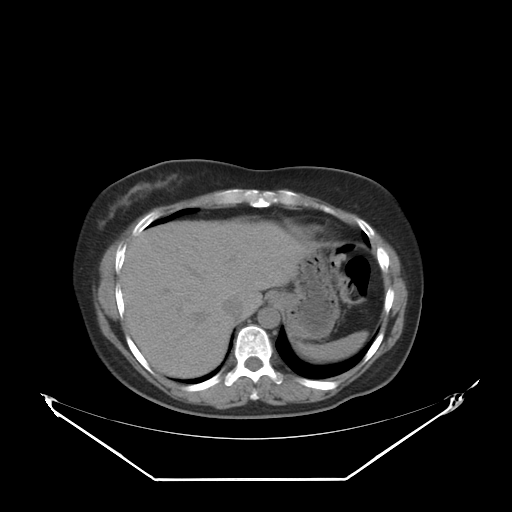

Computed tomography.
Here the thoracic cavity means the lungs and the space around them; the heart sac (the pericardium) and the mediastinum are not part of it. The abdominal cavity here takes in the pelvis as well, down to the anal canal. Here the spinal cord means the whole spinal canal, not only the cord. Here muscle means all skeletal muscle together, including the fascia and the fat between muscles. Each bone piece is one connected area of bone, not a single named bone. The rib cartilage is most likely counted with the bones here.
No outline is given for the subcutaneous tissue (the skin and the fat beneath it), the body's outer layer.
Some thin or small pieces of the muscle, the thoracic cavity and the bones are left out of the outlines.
{"spinal_cord":[[[250,357],[256,357],[257,358],[258,358],[261,361],[261,362],[262,363],[262,365],[259,368],[258,368],[256,370],[251,370],[250,369],[249,369],[247,367],[246,367],[245,366],[245,362],[246,361],[246,360],[248,358],[249,358]]],"muscle":[[[216,190],[221,190],[204,201],[229,206],[184,207],[164,216],[159,209],[152,210],[135,224],[131,231],[134,237],[127,246],[125,242],[117,245],[114,270],[119,274],[119,283],[114,287],[114,297],[119,317],[127,329],[128,334],[124,338],[129,350],[150,374],[154,376],[156,373],[182,383],[181,389],[186,392],[202,391],[222,380],[228,387],[240,377],[247,377],[256,384],[262,376],[267,376],[279,385],[283,375],[273,364],[275,353],[299,376],[295,377],[299,384],[323,391],[336,388],[340,382],[329,379],[360,361],[363,365],[376,352],[385,335],[380,330],[382,314],[389,313],[394,301],[395,291],[391,286],[386,290],[382,275],[388,271],[390,257],[383,246],[378,245],[374,249],[371,242],[375,236],[373,227],[399,258],[408,292],[403,329],[389,350],[334,395],[314,402],[273,405],[257,400],[260,397],[253,388],[249,394],[251,400],[239,406],[219,409],[186,403],[149,382],[104,336],[96,323],[92,280],[96,286],[98,284],[100,261],[110,244],[132,222],[153,208]],[[297,192],[300,192],[313,197],[319,198],[336,207],[341,208],[357,215],[358,216],[356,216],[354,218],[354,221],[356,223],[357,226],[348,223],[346,221],[340,218],[340,216],[337,212],[332,207],[326,204],[319,203],[315,201],[302,200],[300,195]]],"thoracic_cavity":[[[281,327],[283,327],[285,332],[285,337],[293,353],[302,362],[312,366],[327,366],[344,362],[355,356],[365,346],[370,342],[371,343],[362,358],[351,368],[328,379],[312,379],[300,376],[292,371],[275,352],[273,346],[278,337],[279,330]],[[192,207],[197,207],[198,208],[197,211],[193,213],[187,213],[175,217],[173,219],[170,219],[167,221],[164,221],[161,223],[156,223],[153,225],[149,225],[150,225],[155,220],[161,217],[167,216],[175,211],[184,208],[191,208]],[[222,364],[223,364],[222,366],[215,374],[214,374],[209,378],[203,381],[201,381],[200,382],[197,382],[196,383],[185,384],[182,382],[178,382],[174,380],[187,380],[188,379],[199,378],[215,370],[216,368],[221,366]]],"bones":[{"outer":[[250,324],[262,328],[267,333],[274,350],[272,364],[282,375],[281,383],[275,383],[267,375],[262,375],[256,383],[247,376],[240,376],[228,386],[225,385],[222,379],[202,390],[186,391],[182,389],[185,385],[200,383],[215,375],[232,353],[237,331]],"hole":[[250,357],[256,357],[257,358],[258,358],[261,361],[261,362],[262,363],[262,365],[259,368],[258,368],[256,370],[251,370],[250,369],[249,369],[247,367],[246,367],[245,366],[245,362],[246,361],[246,360],[248,358],[249,358]]},[[230,188],[257,189],[260,192],[279,189],[291,190],[296,192],[302,201],[315,202],[332,208],[339,217],[311,205],[304,206],[302,204],[290,206],[274,203],[267,207],[254,207],[244,202],[234,205],[217,205],[211,201],[205,201],[211,199],[216,192]],[[296,377],[302,377],[303,378],[306,378],[307,379],[311,379],[312,380],[328,380],[329,381],[338,381],[339,383],[336,387],[332,389],[330,389],[329,390],[323,390],[322,389],[317,389],[316,388],[312,388],[311,387],[305,386],[299,383],[296,380]],[[155,210],[159,210],[161,212],[161,215],[158,218],[155,219],[150,224],[149,224],[146,227],[145,227],[140,232],[140,233],[134,236],[132,234],[132,231],[134,227],[136,225],[136,224],[145,215]],[[126,335],[128,335],[131,338],[131,339],[133,341],[133,342],[135,344],[139,351],[145,358],[145,359],[149,364],[150,367],[155,373],[154,375],[150,373],[137,360],[137,359],[134,356],[126,342],[126,339],[125,338]],[[378,246],[381,246],[383,247],[387,252],[388,254],[388,256],[389,257],[389,264],[388,265],[388,267],[387,268],[387,271],[386,272],[383,272],[381,270],[379,266],[379,264],[378,263],[377,258],[376,257],[376,250]],[[380,331],[382,331],[384,335],[383,336],[383,338],[379,346],[377,348],[375,352],[371,356],[371,357],[366,362],[365,362],[363,364],[361,364],[361,360],[363,358],[366,352],[370,347],[372,342]],[[120,243],[125,243],[126,244],[126,248],[125,249],[125,252],[124,253],[124,258],[123,259],[123,263],[121,266],[121,269],[120,270],[119,273],[117,273],[115,270],[115,254],[116,253],[116,250],[117,249],[117,247],[118,246],[118,245]],[[356,217],[358,217],[359,218],[361,218],[363,220],[364,220],[366,222],[367,222],[370,225],[370,226],[373,229],[373,230],[374,231],[374,236],[372,238],[371,238],[370,239],[369,238],[369,237],[358,226],[357,223],[355,221],[355,218]],[[389,287],[391,287],[393,289],[393,290],[394,291],[394,296],[393,297],[393,301],[392,302],[391,307],[390,308],[388,313],[387,314],[386,314],[384,312],[383,307],[384,306],[384,298],[385,297],[385,293],[386,292],[387,289]],[[117,284],[119,284],[119,286],[121,289],[121,293],[122,294],[122,299],[123,300],[123,318],[121,318],[120,317],[120,315],[119,314],[119,311],[118,310],[118,308],[117,307],[117,303],[116,302],[116,298],[115,297],[115,287]]],"abdominal_cavity":[[[245,212],[278,212],[296,231],[315,240],[371,243],[385,289],[379,331],[349,359],[312,365],[294,353],[280,310],[265,301],[235,328],[221,365],[187,379],[160,375],[129,335],[124,319],[120,272],[128,245],[148,226],[187,214],[226,217]]],"torso":[[[187,158],[212,159],[253,169],[295,165],[344,169],[377,181],[395,196],[421,250],[424,294],[413,345],[390,382],[320,412],[233,419],[192,415],[164,407],[134,393],[107,371],[90,344],[70,282],[71,258],[79,227],[94,198],[109,184],[155,163]]],"mediastinum":[[[244,203],[254,208],[267,208],[274,204],[288,209],[317,209],[359,228],[361,230],[362,239],[344,238],[345,226],[342,222],[319,214],[291,214],[285,216],[278,211],[245,211],[239,214],[226,216],[198,215],[194,213],[197,212],[199,208],[212,209]],[[265,302],[271,302],[274,304],[277,307],[279,310],[279,312],[281,314],[281,326],[278,330],[277,337],[273,345],[268,333],[262,327],[253,323],[250,323],[240,327],[236,331],[235,334],[236,328],[241,324],[242,322],[247,320],[248,318]]],"pericardium":[[[291,215],[293,216],[294,215],[319,215],[320,216],[323,216],[326,218],[337,221],[343,224],[344,226],[344,234],[342,236],[342,238],[328,238],[327,239],[315,239],[314,238],[311,238],[301,233],[299,231],[296,230],[287,221],[287,218]]]}